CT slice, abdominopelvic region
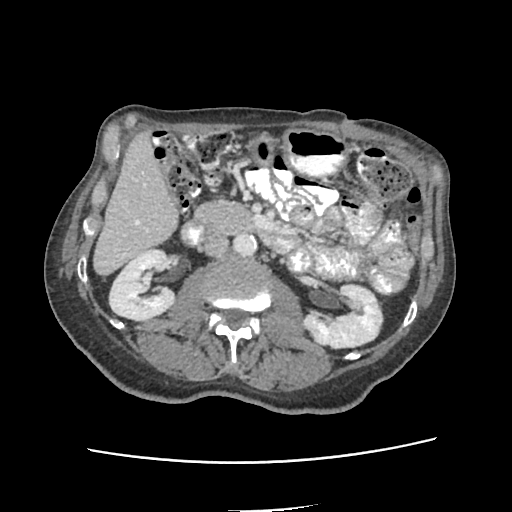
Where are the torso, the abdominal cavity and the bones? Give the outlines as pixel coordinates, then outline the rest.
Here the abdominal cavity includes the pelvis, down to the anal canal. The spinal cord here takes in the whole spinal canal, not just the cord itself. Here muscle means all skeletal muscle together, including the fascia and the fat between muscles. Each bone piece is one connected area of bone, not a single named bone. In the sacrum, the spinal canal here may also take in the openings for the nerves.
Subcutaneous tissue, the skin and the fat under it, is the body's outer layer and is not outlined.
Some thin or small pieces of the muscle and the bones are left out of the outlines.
Outlines (x, y in pixels):
torso: [[291,415],[353,408],[400,370],[441,323],[456,279],[449,214],[451,179],[445,157],[401,126],[351,118],[331,108],[163,109],[131,103],[115,109],[100,124],[90,165],[63,203],[46,243],[43,280],[56,320],[110,382],[136,397],[187,403],[219,395]]
abdominal cavity: [[335,355],[369,347],[392,333],[417,287],[423,206],[413,166],[383,146],[304,126],[209,132],[154,126],[131,140],[88,258],[88,277],[100,305],[126,325],[139,325],[172,306],[196,267],[250,259],[272,280],[277,275],[290,286],[302,308],[304,334]]
bones 1: [[231,368],[235,368],[237,363],[237,342],[259,334],[260,321],[256,314],[271,303],[271,280],[256,262],[250,260],[225,260],[210,268],[203,281],[203,294],[215,309],[209,316],[208,329],[213,328],[216,334],[228,339],[231,350],[228,366]], around a hole outlined by [[232,329],[236,329],[237,328],[242,326],[242,324],[243,323],[243,322],[248,316],[248,312],[247,311],[244,311],[243,310],[238,310],[237,309],[229,309],[228,310],[227,310],[227,311],[225,313],[225,316],[224,317],[224,319],[226,322],[226,324]]
bones 2: [[108,162],[113,162],[115,161],[117,159],[119,155],[119,135],[118,134],[118,130],[117,128],[116,128],[114,126],[108,126],[107,127],[106,130],[103,134],[103,139],[102,140],[102,142],[100,146],[100,150],[102,152],[105,159]]
bones 3: [[93,205],[96,205],[97,204],[98,204],[102,200],[103,197],[105,195],[105,194],[106,193],[106,186],[105,185],[105,180],[103,177],[102,177],[99,180],[99,181],[96,184],[96,185],[94,187],[94,188],[92,191],[92,193],[91,194],[91,203]]
bones 4: [[426,261],[430,261],[432,259],[432,257],[434,254],[434,246],[433,245],[433,241],[430,235],[430,233],[426,233],[426,234],[424,236],[424,238],[423,239],[423,244],[422,245],[423,247],[423,255],[422,256],[423,257],[423,259],[424,259]]
bones 5: [[402,327],[405,327],[409,325],[413,321],[415,317],[415,315],[417,311],[417,303],[416,302],[416,300],[414,296],[411,299],[411,301],[409,304],[408,309],[406,312],[406,314],[404,317],[404,319],[402,323]]
bones 6: [[85,285],[86,284],[86,283],[87,282],[87,280],[88,279],[88,278],[87,277],[87,273],[86,272],[86,267],[87,266],[87,257],[84,254],[82,254],[80,256],[80,257],[78,260],[78,263],[77,264],[77,275],[78,276],[79,279]]
bones 7: [[87,237],[88,236],[90,236],[91,235],[92,235],[94,233],[94,232],[95,231],[95,219],[92,216],[88,216],[87,217],[86,217],[83,220],[83,221],[82,222],[82,230],[83,231],[83,232],[84,233],[84,234],[85,235],[85,236],[86,236]]
muscle: [[272,393],[305,389],[348,371],[371,365],[394,349],[421,321],[441,285],[444,274],[443,173],[443,177],[438,179],[434,178],[431,172],[433,165],[440,166],[438,160],[404,139],[344,121],[169,122],[139,112],[117,117],[106,126],[104,131],[108,125],[114,125],[118,128],[120,155],[115,162],[108,163],[100,151],[95,170],[74,204],[63,239],[61,264],[73,288],[95,322],[121,348],[165,375],[184,381],[209,381],[231,373],[251,387]]; inner edges: [[231,368],[237,342],[260,332],[256,314],[271,303],[274,275],[298,296],[304,334],[346,360],[413,321],[423,230],[413,166],[383,146],[304,126],[154,126],[131,140],[77,275],[123,329],[165,313],[183,280],[206,265],[208,329],[228,339]], then [[93,205],[96,205],[97,204],[98,204],[102,200],[103,197],[105,195],[105,194],[106,193],[106,186],[105,185],[105,180],[103,177],[102,177],[99,180],[99,181],[96,184],[96,185],[94,187],[94,188],[92,191],[92,193],[91,194],[91,203]], then [[426,261],[430,261],[432,259],[432,257],[434,254],[434,246],[433,245],[433,241],[430,235],[430,233],[426,233],[426,234],[424,236],[424,238],[423,239],[423,244],[422,245],[423,247],[423,255],[422,256],[423,257],[423,259],[424,259]], then [[87,237],[88,236],[90,236],[91,235],[92,235],[94,233],[94,232],[95,231],[95,219],[92,216],[88,216],[87,217],[86,217],[83,220],[83,221],[82,222],[82,230],[83,231],[83,232],[84,233],[84,234],[85,235],[85,236],[86,236]], then [[127,127],[130,127],[131,126],[132,126],[133,125],[133,124],[134,123],[134,121],[135,120],[135,116],[134,116],[133,115],[129,115],[127,117],[127,119],[126,120],[126,126]]
spinal cord: [[232,329],[236,329],[237,328],[242,326],[242,324],[243,323],[243,322],[248,316],[248,312],[247,311],[244,311],[243,310],[238,310],[237,309],[229,309],[228,310],[227,310],[227,311],[225,313],[225,316],[224,317],[224,319],[226,322],[226,324]]